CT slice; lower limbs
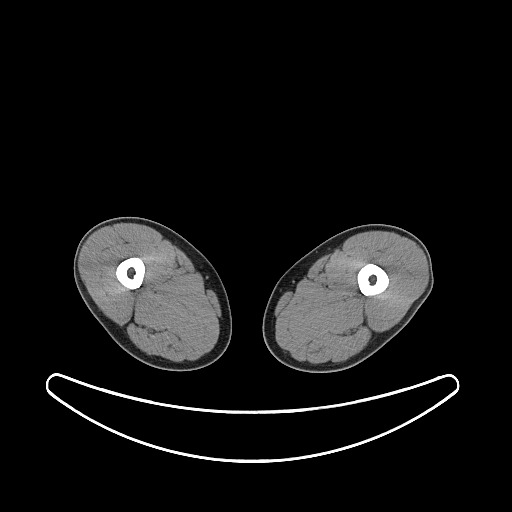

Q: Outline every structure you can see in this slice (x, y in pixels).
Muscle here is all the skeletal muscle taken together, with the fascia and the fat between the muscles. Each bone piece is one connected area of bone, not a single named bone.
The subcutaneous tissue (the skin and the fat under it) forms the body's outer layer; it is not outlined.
A: Outlines:
right leg: (120, 216) (136, 216) (146, 218) (169, 227) (197, 248) (217, 271) (229, 300) (232, 316) (232, 333) (226, 350) (211, 364) (189, 371) (170, 371) (147, 365) (124, 351) (110, 337) (84, 303) (77, 289) (73, 274) (73, 260) (77, 245) (83, 235) (94, 225) (104, 220)
muscle 1: (371, 230) (397, 233) (414, 241) (421, 248) (427, 261) (429, 277) (424, 291) (412, 303) (403, 317) (395, 325) (383, 332) (354, 357) (334, 365) (323, 366) (313, 366) (286, 357) (275, 345) (271, 331) (274, 307) (279, 298) (290, 287) (300, 273) (317, 259) (350, 236), around a hole outlined by (366, 263) (373, 263) (374, 264) (376, 264) (381, 267) (386, 272) (389, 279) (389, 282) (388, 283) (387, 287) (381, 293) (379, 293) (375, 295) (372, 295) (371, 296) (366, 296) (360, 291) (359, 287) (358, 286) (358, 283) (357, 282) (357, 273) (360, 268)
muscle 2: (120, 222) (131, 222) (147, 225) (152, 227) (162, 235) (166, 236) (184, 252) (215, 292) (220, 305) (222, 319) (222, 333) (215, 352) (201, 360) (174, 362) (156, 359) (136, 347) (128, 337) (99, 309) (81, 279) (78, 269) (78, 258) (83, 244) (93, 232) (101, 227); inner edge: (134, 256) (140, 257) (142, 259) (145, 266) (145, 272) (144, 273) (144, 276) (143, 277) (143, 280) (142, 281) (141, 285) (135, 289) (129, 289) (120, 283) (116, 277) (115, 271) (118, 264) (121, 261) (129, 257) (133, 257)
bones 1: (366, 263) (373, 263) (374, 264) (376, 264) (381, 267) (386, 272) (389, 279) (389, 282) (388, 283) (387, 287) (381, 293) (379, 293) (375, 295) (372, 295) (371, 296) (366, 296) (360, 291) (359, 287) (358, 286) (358, 283) (357, 282) (357, 273) (360, 268)
bones 2: (134, 256) (140, 257) (142, 259) (145, 266) (145, 272) (144, 273) (144, 276) (143, 277) (143, 280) (142, 281) (141, 285) (135, 289) (129, 289) (120, 283) (116, 277) (115, 271) (118, 264) (121, 261) (129, 257) (133, 257)
left leg: (363, 224) (389, 224) (397, 226) (409, 231) (424, 243) (431, 258) (433, 271) (433, 287) (429, 295) (409, 322) (395, 336) (372, 355) (352, 367) (334, 372) (312, 373) (300, 371) (281, 363) (270, 353) (262, 335) (264, 310) (275, 284) (288, 268) (320, 243) (348, 228)